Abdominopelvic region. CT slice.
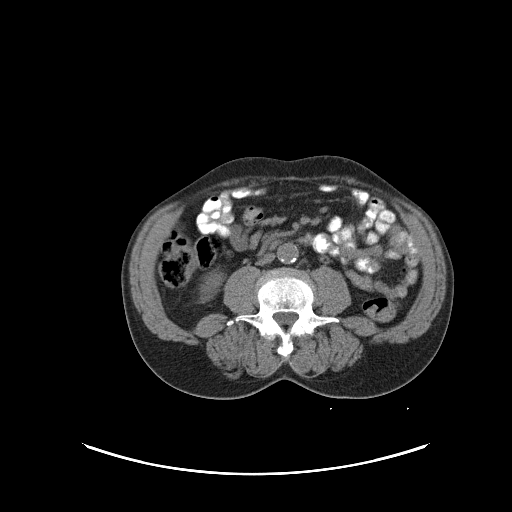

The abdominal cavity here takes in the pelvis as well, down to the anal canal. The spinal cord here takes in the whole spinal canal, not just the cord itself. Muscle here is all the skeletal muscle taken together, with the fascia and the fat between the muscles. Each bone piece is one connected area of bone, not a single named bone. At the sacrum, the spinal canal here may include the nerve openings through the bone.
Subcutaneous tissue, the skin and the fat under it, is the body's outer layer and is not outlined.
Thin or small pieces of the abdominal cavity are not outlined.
The muscle is outlined by [[325,174],[328,174],[329,175],[352,175],[370,183],[375,184],[378,186],[381,186],[396,196],[414,206],[426,218],[432,227],[441,247],[442,253],[445,261],[445,265],[446,266],[446,286],[445,287],[445,295],[442,302],[442,305],[434,318],[432,324],[423,334],[415,340],[403,344],[390,344],[389,345],[380,345],[379,346],[370,347],[363,353],[362,356],[354,365],[335,377],[324,378],[318,380],[302,377],[294,372],[287,364],[284,364],[275,372],[267,377],[260,378],[256,380],[242,380],[241,381],[238,381],[226,377],[216,369],[206,354],[201,349],[195,346],[188,345],[178,341],[176,342],[171,340],[163,340],[157,338],[150,332],[144,324],[135,306],[133,304],[131,292],[130,291],[130,283],[129,282],[129,262],[130,261],[130,256],[131,255],[132,248],[135,243],[137,236],[145,222],[152,214],[166,204],[178,198],[180,198],[197,189],[199,189],[204,186],[207,186],[234,177],[241,177],[242,176],[248,176],[249,175],[299,176],[300,177],[303,177],[304,176],[313,176],[314,175],[319,176]] with a hole at [[287,181],[360,190],[393,206],[422,268],[421,284],[403,319],[380,328],[363,315],[341,315],[352,303],[348,284],[340,271],[320,265],[310,272],[312,308],[339,321],[317,326],[313,335],[293,336],[293,350],[284,357],[277,352],[279,336],[263,337],[244,320],[227,325],[259,308],[256,282],[262,272],[244,265],[223,286],[222,302],[232,315],[208,313],[191,329],[172,321],[155,276],[160,245],[172,226],[200,198]]. The spinal cord is outlined by [[280,312],[283,312],[284,313],[295,313],[297,315],[297,318],[294,321],[294,322],[289,327],[282,327],[275,320],[275,319],[273,317],[273,316],[274,315],[274,314],[275,314],[276,313],[279,313]]. The abdominal cavity is outlined by [[287,181],[360,190],[393,206],[422,268],[403,319],[380,328],[363,315],[341,315],[352,296],[330,266],[316,267],[310,279],[294,268],[262,274],[244,265],[223,286],[222,302],[232,315],[208,313],[191,329],[172,321],[155,276],[172,226],[200,198]]. The torso is outlined by [[313,155],[338,155],[363,164],[421,206],[437,224],[454,271],[451,315],[437,353],[405,385],[362,399],[327,397],[288,380],[280,380],[237,399],[198,397],[168,385],[143,361],[126,322],[120,275],[134,228],[156,203],[226,161],[246,156],[290,160]]. The bones are outlined by [[272,269],[294,269],[302,276],[307,276],[314,286],[314,312],[339,320],[317,326],[313,335],[305,333],[293,336],[293,350],[287,357],[277,352],[281,343],[279,336],[272,339],[263,337],[256,327],[244,320],[227,325],[237,315],[257,312],[256,282]]; inner edge: [[280,312],[283,312],[284,313],[295,313],[297,315],[297,318],[294,321],[294,322],[289,327],[282,327],[275,320],[275,319],[273,317],[273,316],[274,315],[274,314],[275,314],[276,313],[279,313]].